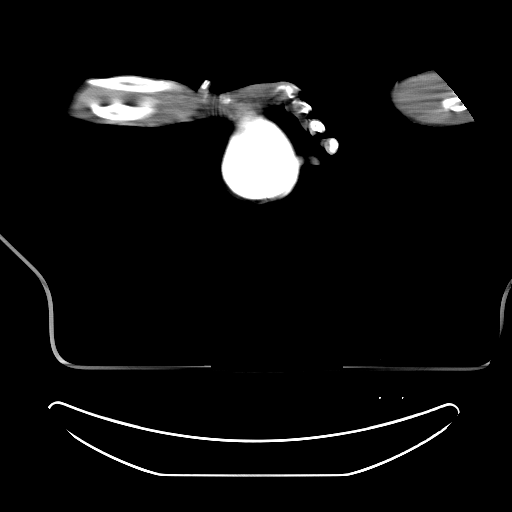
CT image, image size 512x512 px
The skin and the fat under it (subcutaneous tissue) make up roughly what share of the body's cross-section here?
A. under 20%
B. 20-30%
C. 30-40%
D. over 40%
Answer: A. under 20%
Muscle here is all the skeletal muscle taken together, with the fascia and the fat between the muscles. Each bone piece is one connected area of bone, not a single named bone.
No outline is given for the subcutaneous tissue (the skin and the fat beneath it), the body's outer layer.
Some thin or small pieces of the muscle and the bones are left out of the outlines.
The left arm is outlined by 428,69 434,70 458,96 471,115 473,119 472,122 461,124 460,125 449,126 448,127 431,127 426,125 421,125 420,124 413,123 406,119 394,109 388,101 386,96 384,95 384,89 388,85 391,84 397,79. The muscle appears in 2 outlined pieces: piece 1: 86,84 128,93 180,92 203,102 217,100 221,105 229,104 232,101 232,94 274,85 275,92 282,91 291,100 291,104 298,107 298,114 307,115 307,130 293,114 279,105 270,107 264,113 249,110 238,119 234,127 225,115 216,108 207,107 203,102 197,103 195,110 185,117 159,125 97,123 90,118 70,114 70,106 75,100 76,93; inner edge: 146,96 153,97 157,99 158,102 155,105 156,110 155,112 145,119 134,119 133,120 101,119 97,117 87,105 88,102 94,100 96,100 100,104 103,105 109,104 114,98 119,98 123,103 135,106 138,105; piece 2: 429,73 433,74 441,83 444,84 451,95 443,98 440,101 441,109 443,111 454,112 462,112 467,110 468,118 466,120 449,123 426,122 415,117 407,107 407,104 400,99 398,95 398,90 402,85 418,76. The head and neck is outlined by 251,115 265,115 278,124 291,140 296,152 300,154 303,165 300,170 299,179 292,193 285,199 268,203 265,205 257,205 253,203 238,201 233,199 228,195 220,181 220,160 228,136 233,129 232,125 240,118. The bones appear in 8 outlined pieces: piece 1: 249,111 254,111 258,114 264,114 278,124 287,134 298,154 301,169 299,179 293,190 288,195 284,197 274,199 264,199 263,200 245,199 234,194 226,186 221,178 220,160 228,136 235,127 236,123 239,119; piece 2: 118,75 139,76 155,80 170,80 177,83 181,87 181,90 179,91 158,91 153,93 143,93 142,92 128,92 122,90 111,90 101,88 97,86 87,84 85,81 88,78 108,77; piece 3: 146,96 153,97 157,99 158,102 155,105 156,110 155,112 145,119 134,119 133,120 101,119 95,115 87,105 88,102 94,100 96,100 100,104 103,105 109,104 114,98 119,98 123,103 135,106 138,105; piece 4: 279,83 291,83 299,88 295,93 295,97 297,99 307,103 311,107 311,109 307,114 306,113 298,113 297,110 299,107 293,105 291,102 292,100 287,97 286,94 282,90 279,91 275,91 274,90 275,85; piece 5: 448,87 449,87 452,90 453,90 453,91 458,96 458,97 466,107 467,109 466,110 463,110 462,111 454,111 453,110 443,110 442,109 441,101 443,99 447,98 448,97 450,97 452,95 449,90 450,89; piece 6: 309,119 316,119 317,120 319,120 324,125 324,126 325,127 325,129 323,131 322,131 321,132 315,132 313,134 311,134 309,132 309,131 308,130 308,122 309,121; piece 7: 329,138 333,138 334,139 335,139 337,141 337,143 338,144 338,146 337,147 337,149 333,153 329,153 327,151 326,151 326,150 325,149 325,146 328,143 327,142 328,141 328,139; piece 8: 221,94 227,94 228,95 229,95 229,96 230,97 230,98 231,99 231,101 229,103 228,103 227,104 221,104 220,103 220,102 219,101 219,96. The right arm appears in 3 outlined pieces: piece 1: 122,74 172,80 194,88 210,81 210,88 219,93 286,81 299,88 300,99 311,107 307,116 319,120 325,129 311,134 279,105 264,114 240,117 232,124 219,116 157,127 89,123 63,112 70,94 89,77; piece 2: 323,138 333,138 334,139 335,139 337,141 337,143 338,144 338,146 337,147 337,149 336,150 336,151 334,153 329,153 327,151 326,151 326,150 325,149 324,149 319,144 319,141 321,139 322,139; piece 3: 301,154 305,154 306,155 307,154 308,155 312,155 313,156 314,156 316,158 317,158 317,159 319,161 318,162 318,163 306,163 304,165 303,164 303,161 302,160 302,157 301,156.